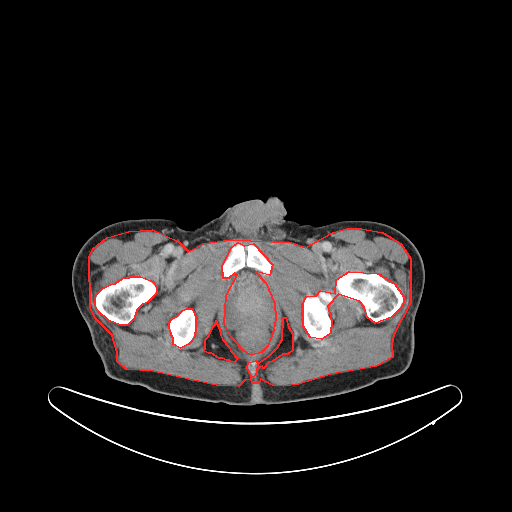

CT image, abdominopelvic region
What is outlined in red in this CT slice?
red: muscle.
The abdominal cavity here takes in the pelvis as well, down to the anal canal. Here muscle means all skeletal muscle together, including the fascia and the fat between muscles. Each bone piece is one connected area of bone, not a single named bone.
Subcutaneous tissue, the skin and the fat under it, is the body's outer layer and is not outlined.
{"muscle":[{"outer":[[346,228],[361,228],[382,232],[400,243],[410,258],[410,302],[393,334],[391,344],[392,357],[376,366],[330,374],[298,384],[283,386],[272,385],[260,379],[258,383],[253,383],[250,379],[244,380],[238,386],[216,385],[153,371],[126,369],[117,361],[117,352],[112,335],[96,319],[90,308],[89,256],[93,248],[107,237],[128,231],[152,229],[178,241],[188,251],[203,243],[230,239],[291,242],[305,247],[332,232]],"holes":[[[238,242],[244,245],[253,243],[272,264],[269,275],[255,271],[265,282],[274,303],[275,318],[273,330],[267,346],[261,352],[251,355],[244,351],[231,337],[224,323],[226,295],[237,275],[234,273],[228,278],[223,278],[222,265],[232,246]],[[349,271],[377,273],[394,283],[403,296],[403,302],[399,309],[391,317],[375,323],[367,317],[364,307],[359,301],[338,294],[327,306],[331,320],[330,333],[321,339],[310,337],[303,326],[303,303],[306,296],[316,295],[320,290],[335,293],[336,279]],[[130,276],[140,276],[150,280],[153,282],[156,286],[156,291],[155,294],[147,302],[142,304],[136,310],[133,319],[128,324],[126,325],[120,325],[108,320],[98,311],[95,305],[95,297],[97,293],[102,288],[110,284],[115,283],[122,278],[129,277]],[[186,308],[191,308],[194,312],[194,314],[195,315],[195,332],[194,333],[194,335],[191,341],[188,344],[180,348],[173,344],[173,338],[171,335],[171,332],[169,328],[169,322],[172,318],[176,316],[182,310]],[[283,317],[285,317],[288,327],[292,333],[292,350],[287,354],[282,354],[272,361],[268,362],[263,368],[262,366],[259,367],[256,370],[255,375],[252,377],[247,368],[248,362],[255,360],[257,362],[257,368],[259,362],[268,356],[277,347],[282,339]],[[216,320],[216,323],[219,328],[219,330],[220,331],[220,335],[222,339],[228,346],[230,350],[237,358],[234,362],[230,361],[229,360],[226,360],[222,358],[219,358],[211,353],[208,353],[204,351],[205,349],[205,339],[209,335],[213,326],[215,324]]]}],"abdominal_cavity":[[[244,268],[250,268],[255,270],[265,282],[267,290],[273,300],[275,310],[273,330],[267,346],[261,352],[251,355],[248,352],[244,351],[231,337],[230,333],[225,327],[224,323],[224,307],[225,306],[226,295],[233,282],[233,280],[237,275],[236,273]]],"torso":[[[269,196],[283,200],[286,220],[314,226],[340,220],[378,221],[413,242],[423,261],[425,281],[409,367],[346,393],[255,405],[166,395],[109,377],[72,290],[72,266],[83,243],[102,227],[128,219],[171,219],[190,230],[230,206],[252,199],[265,201]]],"bones":[[[349,271],[377,273],[394,283],[403,296],[403,302],[399,309],[391,317],[375,323],[367,317],[364,307],[359,301],[338,294],[327,306],[331,320],[330,333],[321,339],[310,337],[303,326],[303,303],[306,296],[316,295],[320,290],[335,293],[336,279]],[[130,276],[140,276],[150,280],[153,282],[156,286],[156,291],[155,294],[147,302],[142,304],[136,310],[133,319],[128,324],[126,325],[120,325],[108,320],[98,311],[95,305],[95,297],[97,293],[102,288],[110,284],[115,283],[122,278],[129,277]],[[238,242],[244,245],[246,245],[249,243],[253,243],[257,246],[260,251],[272,264],[272,267],[269,275],[265,275],[260,271],[258,271],[250,267],[244,267],[234,273],[230,277],[228,278],[223,278],[222,276],[222,265],[228,256],[232,246]],[[186,308],[191,308],[194,312],[194,314],[195,315],[195,332],[194,333],[194,335],[191,341],[188,344],[180,348],[173,344],[173,338],[171,335],[171,332],[169,328],[169,322],[172,318],[176,316],[182,310]],[[252,360],[255,360],[257,362],[257,364],[256,365],[256,367],[257,368],[257,369],[256,370],[256,373],[255,374],[255,375],[253,377],[252,377],[250,375],[250,373],[249,372],[249,371],[247,368],[247,364],[248,363],[248,362],[249,361],[251,361]]]}